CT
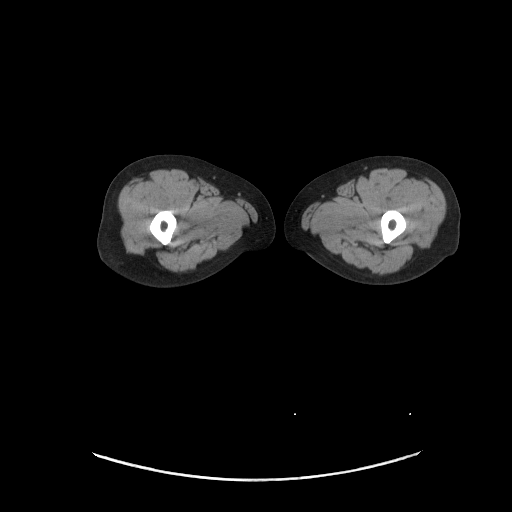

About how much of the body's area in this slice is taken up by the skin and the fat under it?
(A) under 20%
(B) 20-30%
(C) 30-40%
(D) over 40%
(C) 30-40%
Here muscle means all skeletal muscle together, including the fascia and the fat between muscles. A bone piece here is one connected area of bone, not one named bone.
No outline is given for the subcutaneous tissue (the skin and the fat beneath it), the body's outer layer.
{"bones":[[[162,210],[166,210],[167,211],[172,211],[173,212],[173,214],[176,218],[176,228],[172,235],[172,238],[166,245],[164,245],[162,244],[157,239],[156,239],[148,229],[148,227],[149,226],[149,224],[150,223],[150,221],[151,219],[158,211],[161,211]],[[388,209],[397,209],[404,216],[406,220],[406,227],[403,232],[402,232],[398,236],[397,236],[393,240],[392,240],[389,243],[387,244],[385,243],[382,239],[382,235],[381,234],[381,229],[380,228],[380,218],[382,214],[386,210]]],"left_leg":[[[382,154],[404,155],[421,159],[438,168],[447,177],[454,189],[460,207],[459,243],[453,255],[445,258],[433,269],[420,277],[394,285],[368,285],[343,278],[326,269],[304,252],[292,247],[284,237],[283,222],[287,209],[294,197],[312,179],[348,162]]],"right_leg":[[[162,153],[185,154],[201,158],[233,172],[255,185],[268,200],[275,219],[276,230],[271,244],[260,251],[244,252],[226,267],[206,279],[175,288],[143,286],[118,275],[106,266],[101,261],[96,247],[96,237],[106,190],[113,177],[129,163],[145,156]]],"muscle":[{"outer":[[372,164],[406,169],[415,169],[424,173],[437,182],[446,200],[446,214],[442,223],[438,228],[437,234],[431,246],[404,268],[397,272],[380,277],[353,269],[336,260],[319,248],[302,229],[300,224],[300,215],[311,201],[319,197],[327,190],[357,170]],"hole":[[388,209],[397,209],[404,216],[406,220],[406,227],[403,232],[402,232],[398,236],[397,236],[393,240],[392,240],[389,243],[387,244],[385,243],[382,239],[382,235],[381,234],[381,229],[380,228],[380,218],[382,214],[386,210]]},{"outer":[[162,167],[176,167],[195,172],[244,195],[252,201],[255,205],[260,217],[258,224],[232,250],[206,265],[203,268],[192,272],[187,273],[166,272],[137,255],[127,254],[125,252],[120,235],[122,220],[119,216],[116,199],[123,186],[132,178],[144,172]],"hole":[[162,210],[166,210],[167,211],[172,211],[173,212],[173,214],[176,218],[176,228],[172,235],[172,238],[166,245],[164,245],[162,244],[157,239],[156,239],[148,229],[148,227],[149,226],[149,224],[150,223],[150,221],[151,219],[158,211],[161,211]]}]}